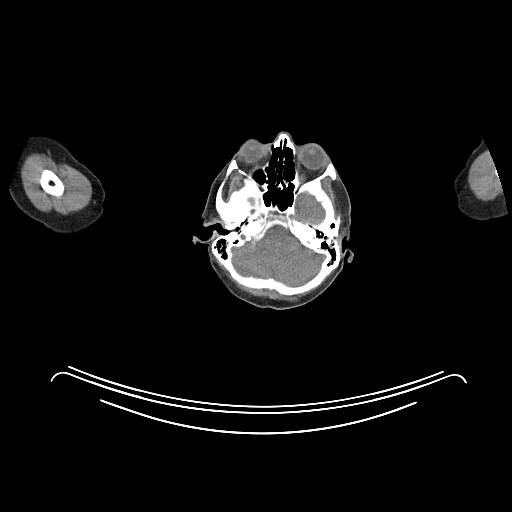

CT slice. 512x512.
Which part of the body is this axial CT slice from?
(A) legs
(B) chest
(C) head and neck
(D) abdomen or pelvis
Answer: (C) head and neck
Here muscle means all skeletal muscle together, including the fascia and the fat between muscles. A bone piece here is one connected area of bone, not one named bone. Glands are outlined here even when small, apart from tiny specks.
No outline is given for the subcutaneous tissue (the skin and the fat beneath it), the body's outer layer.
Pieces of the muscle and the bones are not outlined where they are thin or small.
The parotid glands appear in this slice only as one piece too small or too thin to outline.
{"left_arm":[[[482,139],[487,147],[497,172],[499,181],[501,184],[501,188],[503,191],[505,205],[507,210],[506,215],[485,221],[472,219],[467,217],[459,211],[456,206],[456,194],[453,188],[453,182],[456,175],[464,166],[466,160],[472,150],[479,144]]],"head":[{"outer":[[281,131],[295,144],[315,142],[328,152],[351,204],[350,237],[341,247],[353,252],[325,291],[288,309],[261,308],[234,296],[213,270],[207,245],[193,242],[214,230],[226,233],[219,223],[204,226],[201,217],[221,168],[247,139],[271,143]],"holes":[[[274,148],[281,152],[290,149],[294,164],[293,177],[289,181],[284,177],[286,157],[283,154],[275,158],[277,164],[273,170],[280,178],[273,185],[280,190],[290,183],[293,185],[291,201],[283,208],[276,203],[267,204],[264,197],[268,191],[267,168]],[[258,171],[261,171],[262,172],[262,173],[263,174],[263,175],[264,176],[264,181],[263,182],[259,182],[254,177],[254,175],[256,173],[256,172],[257,172]]]}],"right_arm":[[[34,134],[46,135],[59,141],[68,149],[78,161],[84,164],[91,170],[100,180],[105,191],[105,197],[103,201],[104,210],[97,221],[87,229],[71,235],[58,234],[48,229],[40,222],[26,215],[20,210],[12,199],[9,189],[16,166],[29,138]]],"brain":[[[275,226],[279,226],[287,230],[304,247],[322,256],[319,268],[316,273],[301,284],[289,285],[271,276],[262,277],[251,274],[246,275],[238,271],[234,265],[233,248],[241,247],[248,242],[251,242],[251,244],[254,246],[258,241],[265,236],[271,228]],[[304,193],[306,193],[312,196],[320,205],[320,206],[323,210],[323,217],[319,221],[317,222],[311,222],[308,220],[305,220],[304,221],[303,220],[298,219],[295,216],[296,214],[296,205],[297,204],[297,200],[298,199],[298,197],[300,195]]],"bones":[{"outer":[[280,132],[287,133],[295,144],[294,163],[290,148],[271,150],[265,203],[283,209],[293,198],[291,182],[283,189],[274,185],[281,178],[274,170],[278,156],[286,159],[283,177],[289,182],[295,166],[305,182],[319,176],[331,161],[336,177],[325,176],[321,186],[340,217],[342,248],[338,265],[319,285],[290,295],[238,283],[211,249],[214,234],[226,233],[215,197],[230,161],[235,159],[241,169],[263,183],[260,167]],"holes":[[[275,226],[279,226],[287,230],[304,247],[322,256],[319,268],[316,273],[301,284],[289,285],[271,276],[262,277],[251,274],[246,275],[238,271],[234,265],[233,248],[241,247],[248,242],[251,242],[251,244],[254,246],[258,241],[265,236],[271,228]],[[304,193],[306,193],[312,196],[320,205],[320,206],[323,210],[323,217],[319,221],[317,222],[311,222],[308,220],[305,220],[304,221],[303,220],[298,219],[295,216],[296,214],[296,205],[297,204],[297,200],[298,199],[298,197],[300,195]],[[234,170],[236,170],[237,172],[242,176],[242,185],[238,188],[236,189],[234,189],[229,194],[227,199],[225,200],[223,198],[223,196],[222,195],[222,191],[223,190],[223,188],[230,174],[232,172],[232,171]]]},[[43,169],[49,169],[51,170],[61,180],[64,186],[64,191],[63,193],[60,196],[58,197],[57,196],[54,196],[53,195],[51,195],[47,193],[42,188],[39,182],[39,179],[41,175],[41,172]]],"muscle":[{"outer":[[38,151],[49,151],[52,158],[56,162],[66,163],[77,169],[86,176],[91,183],[93,192],[92,193],[92,201],[89,205],[77,212],[62,215],[55,211],[48,213],[42,212],[38,210],[31,203],[23,189],[20,172],[22,164],[26,156],[32,152]],"hole":[[43,169],[49,169],[51,170],[61,180],[64,186],[64,191],[63,193],[60,196],[58,197],[57,196],[54,196],[53,195],[51,195],[47,193],[42,188],[39,182],[39,179],[41,175],[41,172]]},[[484,151],[489,152],[489,154],[494,164],[493,166],[493,172],[500,188],[499,194],[493,200],[490,200],[489,201],[481,201],[477,199],[470,191],[467,184],[467,176],[468,175],[468,172],[469,171],[469,169],[472,162],[479,154]],[[218,263],[228,272],[229,275],[233,280],[234,280],[238,284],[242,285],[247,288],[250,288],[251,289],[267,289],[268,290],[273,290],[281,295],[286,295],[287,296],[296,295],[297,294],[301,294],[316,288],[313,291],[300,297],[296,300],[293,300],[292,301],[286,301],[285,300],[275,300],[270,298],[263,298],[258,296],[254,296],[248,293],[246,293],[243,291],[241,291],[238,289],[225,275],[224,272]],[[325,177],[329,177],[333,181],[336,178],[337,181],[337,189],[339,192],[339,194],[341,196],[342,205],[343,206],[343,212],[344,213],[343,222],[342,223],[343,231],[341,233],[339,233],[341,217],[336,212],[336,209],[332,200],[322,186],[322,180]],[[234,170],[236,170],[237,172],[242,176],[242,185],[238,188],[236,189],[234,189],[229,194],[227,199],[225,200],[223,198],[223,196],[222,195],[222,191],[223,190],[223,188],[230,174],[232,172],[232,171]]]}